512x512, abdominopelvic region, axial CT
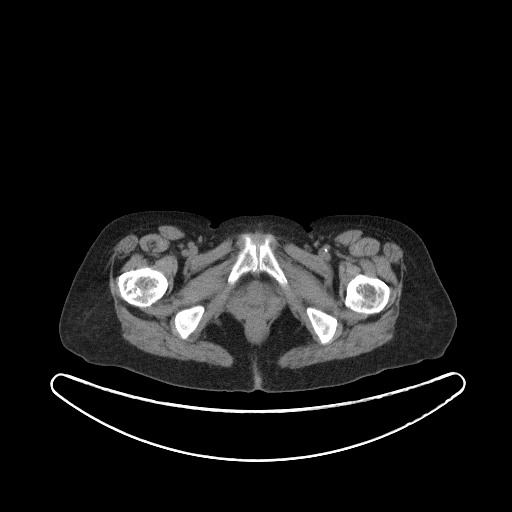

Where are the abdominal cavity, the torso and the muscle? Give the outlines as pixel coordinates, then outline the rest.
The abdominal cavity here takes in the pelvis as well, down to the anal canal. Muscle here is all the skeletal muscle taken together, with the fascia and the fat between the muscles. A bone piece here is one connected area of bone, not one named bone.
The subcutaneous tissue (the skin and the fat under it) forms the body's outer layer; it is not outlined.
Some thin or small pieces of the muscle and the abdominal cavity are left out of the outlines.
The abdominal cavity is outlined by (261, 272) (265, 273) (274, 280) (273, 281) (279, 294) (281, 303) (277, 311) (270, 318) (263, 337) (255, 341) (249, 337) (246, 331) (246, 324) (244, 321) (234, 313) (232, 308) (230, 307) (230, 299) (234, 291) (235, 285) (242, 276) (248, 273) (260, 273). The torso is outlined by (145, 210) (192, 212) (214, 227) (232, 217) (261, 214) (287, 217) (307, 230) (311, 221) (335, 214) (398, 220) (428, 249) (456, 313) (454, 335) (438, 358) (338, 386) (280, 393) (191, 389) (121, 367) (89, 363) (61, 343) (58, 323) (66, 295) (103, 227) (117, 217). The muscle is outlined by (159, 225) (177, 227) (195, 244) (199, 253) (244, 232) (278, 236) (284, 242) (291, 242) (313, 254) (322, 244) (349, 229) (360, 229) (390, 239) (402, 249) (404, 263) (394, 336) (359, 355) (294, 369) (280, 367) (277, 364) (280, 355) (311, 339) (307, 328) (286, 305) (259, 345) (247, 340) (242, 324) (226, 311) (205, 326) (201, 337) (220, 345) (233, 356) (230, 367) (145, 352) (122, 337) (109, 289) (110, 260) (114, 246) (123, 237) (139, 228); inner edges: (242, 234) (248, 234) (257, 244) (261, 243) (267, 235) (273, 237) (270, 246) (288, 282) (286, 288) (276, 281) (274, 282) (281, 303) (270, 318) (263, 337) (257, 341) (249, 337) (246, 324) (230, 307) (234, 287) (229, 287) (227, 279) (237, 253) (242, 246) (240, 241), then (146, 266) (162, 272) (167, 279) (168, 286) (165, 293) (160, 299) (149, 306) (141, 308) (129, 304) (120, 296) (118, 290) (118, 287) (117, 286) (117, 279) (116, 278) (118, 275) (125, 271) (131, 270) (132, 269) (136, 269) (137, 268) (141, 268), then (358, 274) (364, 274) (372, 277) (377, 277) (381, 279) (389, 286) (390, 288) (390, 295) (389, 296) (389, 299) (384, 308) (380, 312) (367, 315) (364, 313) (356, 312) (345, 306) (344, 304) (344, 298) (346, 293) (346, 286) (348, 282) (352, 278), then (307, 307) (314, 307) (315, 308) (317, 308) (322, 311) (324, 311) (330, 314) (337, 319) (337, 327) (336, 328) (335, 333) (332, 338) (332, 340) (330, 342) (326, 344) (322, 344) (319, 341) (316, 334) (314, 332) (314, 330) (311, 325) (309, 318) (306, 313) (306, 308), then (199, 304) (200, 305) (202, 305) (204, 307) (204, 312) (194, 331) (186, 339) (182, 339) (179, 336) (179, 334) (175, 328) (175, 325) (174, 324) (174, 318) (175, 317) (175, 314) (181, 309) (183, 309) (184, 308) (188, 308) (189, 307) (191, 307) (195, 305) (198, 305). The bones appear in 5 outlined pieces: piece 1: (242, 234) (248, 234) (257, 244) (261, 243) (267, 235) (271, 235) (273, 237) (270, 242) (270, 246) (287, 279) (288, 286) (286, 288) (282, 287) (263, 271) (248, 272) (242, 275) (232, 287) (229, 287) (227, 279) (237, 253) (242, 246) (242, 242) (240, 241) (240, 236); piece 2: (146, 266) (162, 272) (167, 279) (168, 286) (165, 293) (160, 299) (149, 306) (141, 308) (129, 304) (120, 296) (118, 290) (118, 287) (117, 286) (117, 279) (116, 278) (118, 275) (125, 271) (131, 270) (132, 269) (136, 269) (137, 268) (141, 268); piece 3: (358, 274) (364, 274) (372, 277) (377, 277) (381, 279) (389, 286) (390, 288) (390, 295) (389, 296) (389, 299) (384, 308) (380, 312) (367, 315) (364, 313) (356, 312) (345, 306) (344, 304) (344, 298) (346, 293) (346, 286) (348, 282) (352, 278); piece 4: (307, 307) (314, 307) (315, 308) (317, 308) (322, 311) (324, 311) (330, 314) (337, 319) (337, 327) (336, 328) (335, 333) (332, 338) (332, 340) (330, 342) (326, 344) (322, 344) (319, 341) (316, 334) (314, 332) (314, 330) (311, 325) (309, 318) (306, 313) (306, 308); piece 5: (199, 304) (200, 305) (202, 305) (204, 307) (204, 312) (194, 331) (186, 339) (182, 339) (179, 336) (179, 334) (175, 328) (175, 325) (174, 324) (174, 318) (175, 317) (175, 314) (181, 309) (183, 309) (184, 308) (188, 308) (189, 307) (191, 307) (195, 305) (198, 305).